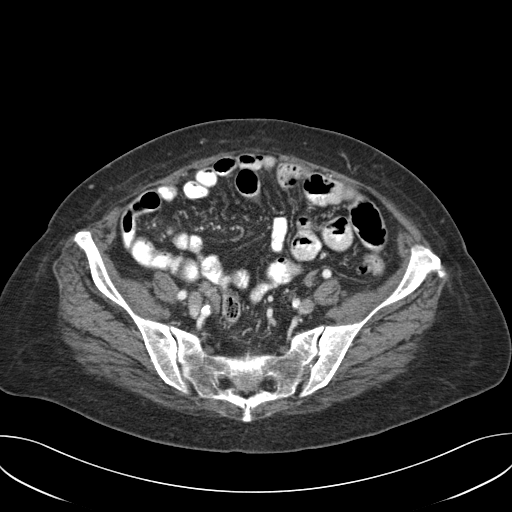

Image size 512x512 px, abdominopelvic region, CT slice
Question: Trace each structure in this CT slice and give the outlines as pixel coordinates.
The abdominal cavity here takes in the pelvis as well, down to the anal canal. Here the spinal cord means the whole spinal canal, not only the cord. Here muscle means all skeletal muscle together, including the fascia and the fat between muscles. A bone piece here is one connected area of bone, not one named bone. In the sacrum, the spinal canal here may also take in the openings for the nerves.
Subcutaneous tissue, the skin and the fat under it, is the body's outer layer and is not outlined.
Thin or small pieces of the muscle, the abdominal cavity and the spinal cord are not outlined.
Answer: The torso is outlined by (247, 117) (283, 119) (352, 136) (401, 163) (431, 189) (454, 220) (505, 317) (511, 337) (511, 361) (502, 381) (478, 395) (375, 435) (285, 453) (213, 452) (161, 444) (102, 425) (51, 401) (0, 390) (0, 292) (62, 200) (96, 170) (159, 135) (195, 123). The muscle appears in 3 outlined pieces: piece 1: (74, 232) (72, 241) (85, 255) (93, 284) (132, 319) (150, 361) (163, 382) (185, 395) (194, 392) (201, 399) (231, 403) (241, 409) (241, 421) (193, 415) (167, 408) (106, 379) (89, 377) (79, 366) (58, 331) (59, 295) (52, 271) (52, 264) (60, 254) (61, 241); piece 2: (245, 147) (291, 154) (372, 186) (412, 218) (436, 253) (422, 243) (414, 243) (409, 249) (408, 261) (401, 278) (383, 300) (360, 320) (325, 324) (324, 316) (330, 307) (316, 302) (313, 296) (316, 288) (323, 282) (336, 278) (345, 298) (381, 285) (398, 269) (402, 260) (397, 243) (400, 223) (386, 205) (370, 191) (334, 177) (330, 173) (282, 160) (269, 153) (229, 153) (207, 165) (190, 169) (187, 175) (177, 181) (148, 186) (121, 204) (115, 237) (107, 251) (119, 274) (123, 278) (149, 283) (154, 273) (161, 271) (168, 274) (178, 288) (174, 303) (166, 304) (169, 310) (169, 324) (139, 315) (110, 277) (92, 232) (88, 229) (76, 231) (99, 219) (110, 203) (127, 194) (132, 185) (140, 181) (169, 172) (196, 159); piece 3: (442, 262) (449, 270) (449, 281) (439, 297) (435, 320) (423, 333) (421, 350) (406, 371) (379, 387) (372, 387) (321, 411) (252, 421) (251, 412) (260, 404) (296, 394) (303, 398) (325, 387) (362, 327) (379, 310) (416, 290) (429, 274) (434, 272) (444, 278) (447, 273). The bones are outlined by (80, 230) (91, 232) (109, 277) (136, 314) (195, 334) (212, 355) (280, 355) (299, 332) (360, 321) (399, 283) (414, 244) (436, 254) (446, 275) (429, 273) (379, 309) (325, 386) (260, 403) (243, 422) (235, 404) (164, 382) (133, 319) (94, 284) (86, 255) (73, 241); inner edges: (267, 377) (268, 378) (271, 378) (273, 380) (273, 381) (274, 382) (274, 383) (275, 384) (275, 389) (274, 389) (272, 391) (267, 391) (266, 390) (265, 390) (261, 386) (261, 382) (262, 381) (263, 381), then (220, 376) (226, 376) (227, 377) (227, 378) (230, 381) (230, 382) (232, 384) (232, 385) (233, 386) (232, 387) (231, 387) (230, 388) (228, 388) (227, 387) (222, 387) (221, 386) (220, 386) (219, 385) (219, 382) (218, 381) (218, 380) (219, 379) (219, 378) (220, 377), then (254, 389) (257, 389) (258, 390) (258, 391) (257, 392) (256, 392) (247, 397) (245, 397) (244, 396) (242, 396) (241, 395) (240, 395) (237, 393) (235, 393) (234, 392) (234, 391) (235, 391) (236, 390) (240, 390) (241, 391) (249, 391) (250, 390) (253, 390). The abdominal cavity is outlined by (241, 152) (361, 187) (400, 225) (397, 269) (377, 287) (345, 297) (336, 277) (320, 283) (312, 296) (329, 307) (324, 324) (295, 333) (280, 354) (209, 353) (195, 333) (170, 324) (167, 304) (179, 288) (168, 273) (156, 270) (149, 282) (123, 277) (108, 253) (127, 200). The spinal cord is outlined by (267, 377) (268, 378) (271, 378) (273, 380) (273, 381) (274, 382) (274, 383) (275, 384) (275, 389) (274, 389) (272, 391) (267, 391) (266, 390) (265, 390) (261, 386) (261, 382) (262, 381) (263, 381).